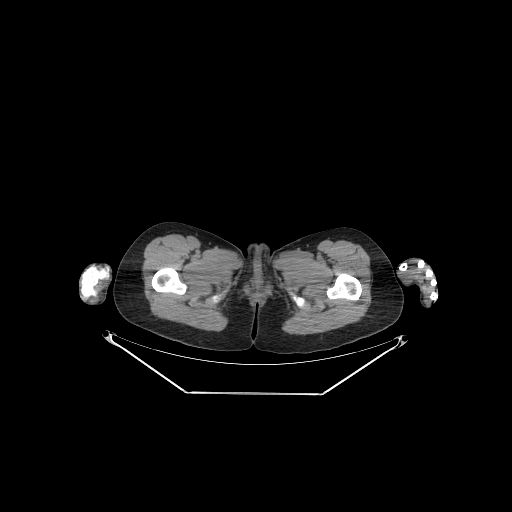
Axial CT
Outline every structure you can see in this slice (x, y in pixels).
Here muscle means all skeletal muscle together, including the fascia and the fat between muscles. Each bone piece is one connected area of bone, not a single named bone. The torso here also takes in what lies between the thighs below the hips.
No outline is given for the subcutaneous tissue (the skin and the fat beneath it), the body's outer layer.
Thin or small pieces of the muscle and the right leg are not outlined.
{"torso":[[[251,242],[265,242],[269,245],[269,249],[268,250],[269,264],[268,265],[267,271],[262,281],[261,289],[260,290],[260,297],[257,304],[257,293],[256,292],[256,283],[255,282],[255,279],[247,262],[246,256],[244,253],[247,249],[247,245]]],"right_arm":[[[92,262],[106,262],[109,264],[112,269],[112,276],[113,277],[113,280],[110,282],[108,286],[108,288],[107,289],[107,294],[104,302],[99,305],[87,305],[82,301],[78,295],[78,290],[79,289],[78,281],[79,280],[80,275],[84,268],[88,264]]],"bones":[[[339,272],[345,272],[346,273],[348,273],[352,276],[356,277],[359,280],[362,286],[362,291],[361,292],[360,297],[357,300],[348,300],[344,298],[330,299],[327,296],[326,294],[326,290],[328,287],[331,286],[334,283],[334,280],[337,274]],[[168,266],[175,268],[175,269],[178,273],[178,275],[179,276],[180,280],[186,284],[187,288],[186,289],[186,291],[183,294],[177,294],[176,293],[173,293],[172,292],[158,292],[156,291],[151,286],[151,279],[154,273],[159,268],[161,267],[167,267]],[[92,264],[97,265],[99,267],[108,266],[110,275],[108,278],[103,278],[98,280],[97,283],[94,286],[94,289],[97,292],[97,295],[96,296],[90,296],[86,300],[83,300],[81,298],[80,295],[80,286],[79,285],[80,276],[82,272],[88,266]],[[420,259],[424,261],[424,263],[426,266],[431,268],[434,274],[436,280],[436,285],[433,288],[437,292],[437,296],[435,300],[432,300],[429,297],[432,288],[430,285],[430,280],[425,277],[425,270],[423,268],[419,268],[417,266],[417,262]],[[289,291],[290,291],[291,292],[293,292],[295,294],[296,294],[297,295],[298,295],[299,296],[300,296],[301,297],[304,298],[305,299],[305,301],[306,302],[306,304],[305,305],[305,306],[302,308],[299,307],[292,300],[292,299],[289,294]],[[214,294],[222,294],[222,297],[221,298],[221,299],[218,302],[217,302],[216,303],[213,303],[212,302],[211,302],[210,301],[207,301],[207,299],[208,299],[212,295],[213,295]],[[403,262],[404,262],[405,262],[406,263],[407,264],[407,265],[407,266],[407,267],[407,268],[406,269],[405,270],[404,271],[403,271],[402,271],[401,270],[400,270],[400,269],[399,268],[399,267],[399,266],[400,265],[400,264],[401,263],[402,263]]],"left_leg":[[[340,226],[356,228],[367,234],[378,244],[390,260],[398,279],[404,285],[401,285],[404,294],[404,303],[397,321],[372,336],[327,351],[308,354],[277,354],[256,349],[254,346],[256,311],[261,297],[263,281],[270,264],[270,248],[274,250],[304,235]]],"muscle":[{"outer":[[170,233],[193,235],[204,246],[216,245],[226,247],[236,252],[242,258],[244,262],[242,272],[228,296],[227,306],[224,310],[229,321],[223,330],[219,332],[201,330],[157,318],[151,314],[143,291],[141,271],[143,251],[152,239]],"holes":[[[168,266],[175,268],[175,269],[178,273],[178,275],[179,276],[180,280],[186,284],[187,288],[186,289],[186,291],[183,294],[177,294],[176,293],[173,293],[172,292],[158,292],[156,291],[151,286],[151,279],[154,273],[159,268],[161,267],[167,267]],[[214,294],[222,294],[222,297],[221,298],[221,299],[218,302],[217,302],[216,303],[213,303],[212,302],[211,302],[210,301],[207,301],[207,299],[208,299],[212,295],[213,295]]]},{"outer":[[327,238],[341,238],[360,244],[369,255],[372,272],[372,302],[367,311],[367,315],[357,322],[325,332],[306,335],[287,333],[281,329],[281,325],[288,316],[288,309],[283,293],[273,274],[272,260],[283,251],[298,247],[301,249],[313,248],[320,241]],"holes":[[[339,272],[345,272],[346,273],[348,273],[352,276],[356,277],[359,280],[362,286],[362,291],[361,292],[360,297],[357,300],[348,300],[344,298],[330,299],[327,296],[326,294],[326,290],[328,287],[331,286],[334,283],[334,280],[337,274]],[[289,291],[290,291],[291,292],[293,292],[295,294],[296,294],[297,295],[298,295],[299,296],[300,296],[301,297],[304,298],[305,299],[305,301],[306,302],[306,304],[305,305],[305,306],[302,308],[299,307],[292,300],[292,299],[289,294]]]},[[413,261],[416,261],[416,266],[419,269],[424,270],[424,277],[429,280],[429,285],[431,288],[428,296],[429,301],[425,300],[423,284],[421,282],[416,279],[412,279],[409,281],[399,276],[399,272],[400,271],[404,272],[408,268],[408,264]],[[109,278],[109,279],[107,280],[106,283],[101,290],[101,294],[100,295],[100,297],[99,299],[95,302],[90,302],[88,301],[87,300],[90,297],[96,297],[98,295],[98,292],[95,289],[95,286],[98,283],[99,280],[102,280],[103,279],[108,279]]],"left_arm":[[[411,256],[417,256],[430,265],[434,274],[436,283],[438,284],[438,291],[437,292],[437,296],[435,299],[435,303],[428,308],[423,307],[419,302],[419,288],[414,284],[410,286],[406,286],[399,279],[396,273],[395,269],[406,258]]],"right_leg":[[[163,221],[182,222],[207,230],[233,243],[243,252],[255,283],[256,310],[255,325],[252,330],[252,335],[254,336],[253,346],[247,350],[236,352],[212,351],[190,347],[133,325],[118,312],[113,300],[113,281],[119,262],[125,251],[139,234],[148,227]]]}